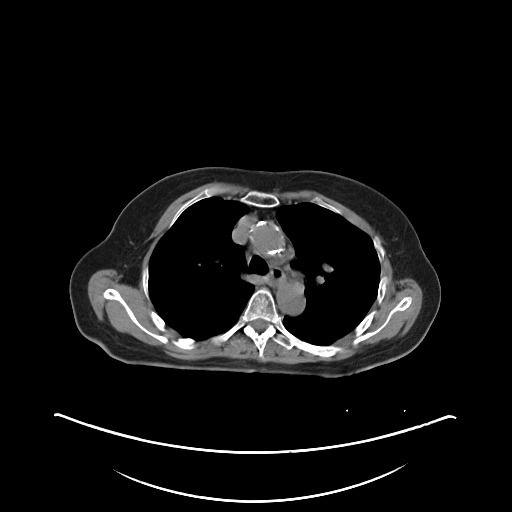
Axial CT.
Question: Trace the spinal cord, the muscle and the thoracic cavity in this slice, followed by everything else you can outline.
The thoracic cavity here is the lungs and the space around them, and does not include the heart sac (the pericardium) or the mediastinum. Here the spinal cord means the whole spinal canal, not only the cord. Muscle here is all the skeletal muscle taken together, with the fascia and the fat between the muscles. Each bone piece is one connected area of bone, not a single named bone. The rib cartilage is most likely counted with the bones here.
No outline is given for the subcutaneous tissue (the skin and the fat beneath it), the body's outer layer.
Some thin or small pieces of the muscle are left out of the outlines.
Answer: {"spinal_cord":[[[257,319],[262,319],[263,320],[264,320],[265,321],[266,321],[267,322],[267,326],[266,327],[266,328],[264,330],[263,330],[261,332],[258,332],[256,330],[255,330],[255,329],[252,326],[252,322],[253,321],[254,321],[255,320],[256,320]]],"muscle":[{"outer":[[214,181],[239,184],[252,189],[239,197],[223,197],[218,195],[226,193],[228,188],[213,184],[204,187],[186,200],[176,210],[167,229],[156,242],[148,263],[143,263],[141,270],[140,271],[140,277],[141,278],[141,285],[145,297],[150,300],[154,308],[148,312],[154,325],[162,332],[165,332],[166,326],[168,326],[179,334],[180,336],[170,341],[176,347],[192,350],[197,346],[197,341],[210,338],[216,346],[219,346],[234,334],[241,332],[256,347],[260,358],[256,360],[226,357],[184,360],[172,357],[161,347],[150,345],[130,334],[116,330],[107,322],[100,321],[87,294],[89,278],[100,269],[115,269],[122,276],[121,282],[135,286],[139,280],[140,277],[140,270],[142,260],[149,244],[146,239],[166,208],[182,194]],"hole":[[108,288],[112,288],[118,291],[122,298],[132,311],[136,319],[145,328],[153,333],[165,336],[168,339],[168,342],[167,343],[163,343],[158,339],[143,331],[133,322],[128,315],[124,307],[117,300],[115,299],[107,299],[105,298],[103,296],[103,292]]},[[385,250],[393,278],[412,278],[422,290],[420,311],[405,334],[368,345],[352,356],[336,361],[285,364],[263,358],[269,339],[287,350],[295,347],[314,356],[332,357],[344,349],[334,343],[348,333],[353,331],[351,344],[355,346],[383,329],[395,312],[407,309],[412,297],[402,297],[380,325],[373,330],[367,330],[377,313],[375,308],[370,310],[372,305],[375,301],[379,305],[386,293],[388,277],[381,274],[380,265]],[[275,190],[279,192],[313,190],[341,203],[365,219],[379,233],[384,241],[383,246],[378,235],[374,234],[370,237],[364,231],[344,217],[342,211],[339,208],[325,201],[320,196],[314,195],[309,199],[309,201],[281,202],[280,199],[271,192]]],"thoracic_cavity":[[[213,196],[235,199],[246,205],[245,213],[234,224],[230,236],[234,243],[243,247],[247,268],[240,277],[251,283],[254,291],[230,328],[207,339],[196,340],[192,337],[181,336],[167,325],[155,310],[148,289],[149,260],[157,242],[179,216],[191,205]],[[293,202],[310,202],[345,218],[369,236],[379,262],[380,275],[376,296],[369,311],[351,331],[331,344],[319,345],[305,341],[290,332],[283,323],[284,316],[297,317],[306,307],[305,275],[300,269],[291,265],[296,258],[295,248],[276,215],[281,205]]],"mediastinum":[[[282,202],[290,203],[276,209],[276,219],[294,248],[295,258],[290,265],[304,275],[305,307],[302,313],[292,317],[278,312],[269,289],[255,289],[251,282],[241,277],[248,268],[244,247],[234,242],[231,236],[235,224],[246,213],[247,205],[272,208]]],"torso":[[[203,166],[269,171],[328,171],[359,180],[393,201],[413,225],[441,287],[438,311],[421,342],[409,353],[391,362],[348,376],[326,378],[128,364],[108,355],[84,337],[75,323],[69,297],[69,280],[75,264],[104,239],[121,210],[138,193],[166,175]]],"bones":[{"outer":[[260,288],[269,290],[277,312],[282,316],[282,323],[290,333],[314,345],[327,346],[333,344],[340,346],[342,351],[329,357],[323,357],[295,346],[287,349],[269,338],[261,358],[254,342],[241,331],[216,345],[211,338],[224,333],[237,322],[252,294]],"hole":[[257,319],[262,319],[263,320],[264,320],[265,321],[266,321],[267,322],[267,326],[266,327],[266,328],[264,330],[263,330],[261,332],[258,332],[256,330],[255,330],[255,329],[252,326],[252,322],[253,321],[254,321],[255,320],[256,320]]},[[406,296],[411,297],[411,302],[407,308],[404,310],[395,311],[392,314],[386,325],[377,333],[360,341],[355,345],[352,344],[352,341],[355,337],[353,330],[370,311],[375,309],[376,313],[370,325],[366,330],[373,331],[384,322],[389,312],[402,298]],[[253,189],[263,191],[264,192],[270,192],[272,193],[279,199],[280,203],[278,205],[273,206],[272,207],[260,207],[259,206],[255,206],[254,205],[246,204],[243,202],[241,202],[235,198],[226,198],[239,198],[240,197],[242,197],[247,192]],[[108,288],[112,288],[118,291],[122,298],[132,311],[136,319],[145,328],[153,333],[165,336],[168,339],[168,342],[167,343],[163,343],[158,339],[143,331],[133,322],[128,315],[124,307],[117,300],[115,299],[107,299],[105,298],[103,296],[103,292]],[[213,185],[219,185],[227,188],[227,191],[226,192],[221,194],[218,194],[217,195],[213,195],[210,197],[203,198],[191,204],[178,216],[172,225],[169,228],[167,228],[170,221],[177,210],[186,201],[192,198],[198,192],[204,188],[206,187],[210,187]],[[179,337],[183,337],[184,338],[192,338],[194,339],[196,341],[195,342],[195,344],[196,346],[192,349],[184,349],[183,348],[181,348],[180,347],[178,347],[176,346],[174,344],[173,344],[171,342],[171,341],[173,339],[176,339]],[[381,275],[385,275],[387,277],[387,282],[386,283],[386,287],[385,288],[385,293],[383,296],[383,298],[382,299],[381,302],[379,304],[378,304],[376,301],[376,297],[377,296],[377,292],[378,291],[378,286],[379,285],[379,281],[380,280],[380,276]],[[314,196],[318,196],[320,197],[325,202],[329,204],[331,204],[335,207],[336,207],[338,209],[339,209],[341,211],[342,213],[342,215],[330,209],[328,209],[325,207],[323,207],[316,203],[311,202],[310,201],[310,199]],[[144,263],[146,263],[148,264],[148,279],[147,280],[147,289],[148,290],[148,295],[149,296],[149,299],[148,299],[146,297],[145,295],[145,293],[144,292],[144,290],[143,289],[143,286],[142,285],[142,278],[141,277],[141,271],[142,270],[142,267]],[[150,310],[154,310],[157,313],[157,314],[165,322],[166,324],[165,326],[165,328],[166,330],[165,331],[162,331],[160,330],[155,325],[152,319],[150,317],[150,315],[149,314],[149,312]],[[374,235],[376,235],[377,236],[378,236],[378,237],[380,240],[381,245],[383,247],[383,248],[384,249],[384,255],[383,256],[382,261],[380,263],[380,262],[379,261],[379,259],[378,258],[378,256],[377,255],[377,251],[374,246],[373,241],[371,238]]]}